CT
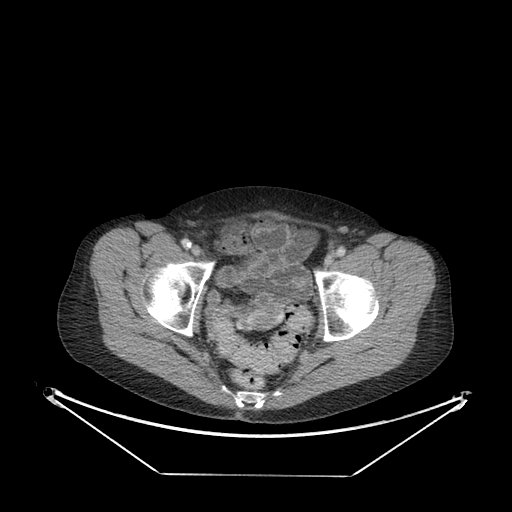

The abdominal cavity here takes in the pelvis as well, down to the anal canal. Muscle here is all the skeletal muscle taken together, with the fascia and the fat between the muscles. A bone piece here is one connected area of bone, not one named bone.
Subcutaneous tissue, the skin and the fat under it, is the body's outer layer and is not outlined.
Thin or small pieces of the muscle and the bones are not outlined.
The abdominal cavity is outlined by (268, 217) (317, 227) (324, 230) (329, 237) (325, 247) (326, 253) (320, 264) (313, 269) (317, 300) (319, 298) (317, 329) (312, 343) (279, 385) (266, 391) (237, 390) (222, 379) (216, 363) (198, 336) (206, 282) (216, 264) (204, 239) (213, 232) (208, 229) (211, 225). The bones appear in 3 outlined pieces: piece 1: (211, 260) (214, 260) (215, 264) (203, 286) (194, 309) (192, 325) (193, 335) (191, 337) (175, 332) (163, 326) (148, 313) (143, 300) (146, 289) (146, 283) (144, 283) (144, 279) (145, 280) (146, 276) (151, 273) (151, 270) (159, 266) (164, 266) (169, 262) (206, 262); piece 2: (314, 269) (328, 270) (329, 271) (341, 271) (345, 273) (357, 275) (361, 277) (367, 278) (373, 285) (379, 304) (379, 309) (374, 320) (367, 327) (350, 338) (343, 340) (330, 341) (329, 342) (324, 341) (322, 339) (324, 332) (323, 312) (321, 308) (318, 287) (314, 276); piece 3: (222, 385) (225, 385) (233, 392) (235, 392) (238, 390) (244, 390) (245, 391) (266, 392) (268, 393) (268, 394) (265, 397) (264, 403) (260, 408) (254, 408) (252, 405) (245, 405) (244, 407) (240, 408) (237, 406) (235, 403) (234, 398) (230, 394) (221, 390) (221, 386). The torso is outlined by (245, 185) (282, 186) (335, 198) (395, 232) (413, 234) (436, 247) (450, 274) (454, 321) (453, 345) (444, 361) (426, 378) (376, 402) (292, 424) (251, 424) (172, 410) (119, 387) (75, 361) (58, 336) (56, 310) (83, 237) (110, 218) (139, 211) (159, 216) (202, 194). The muscle is outlined by (264, 209) (324, 223) (352, 238) (379, 232) (399, 234) (430, 254) (435, 264) (436, 286) (419, 320) (415, 345) (403, 363) (381, 375) (294, 406) (240, 412) (207, 403) (123, 360) (104, 345) (88, 267) (93, 247) (104, 233) (139, 220) (181, 232) (195, 231) (216, 218); inner edges: (268, 217) (324, 230) (326, 253) (315, 268) (367, 278) (379, 309) (352, 337) (327, 342) (318, 301) (312, 343) (266, 391) (260, 408) (240, 408) (221, 390) (226, 384) (198, 336) (206, 284) (189, 337) (148, 313) (144, 279) (169, 262) (212, 260) (204, 243) (211, 225), then (275, 390) (276, 390) (277, 390) (278, 390) (279, 390) (280, 391) (281, 392) (282, 393) (282, 394) (281, 395) (280, 395) (279, 395) (278, 395) (277, 395) (276, 396) (275, 396) (274, 396) (273, 395) (272, 395) (271, 394) (272, 393) (273, 392) (274, 391).